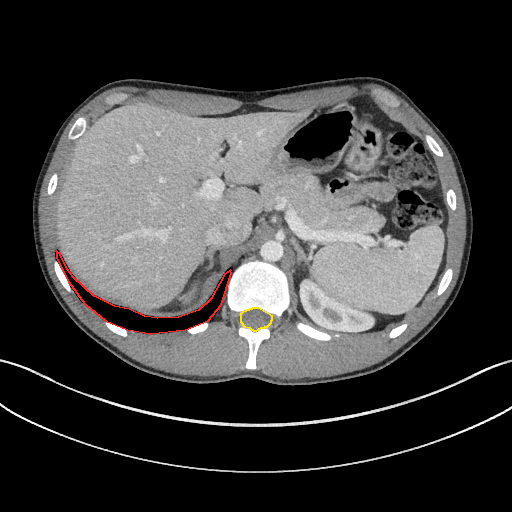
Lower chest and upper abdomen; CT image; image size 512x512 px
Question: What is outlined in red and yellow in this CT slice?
Answer: red: thoracic cavity; yellow: spinal cord.
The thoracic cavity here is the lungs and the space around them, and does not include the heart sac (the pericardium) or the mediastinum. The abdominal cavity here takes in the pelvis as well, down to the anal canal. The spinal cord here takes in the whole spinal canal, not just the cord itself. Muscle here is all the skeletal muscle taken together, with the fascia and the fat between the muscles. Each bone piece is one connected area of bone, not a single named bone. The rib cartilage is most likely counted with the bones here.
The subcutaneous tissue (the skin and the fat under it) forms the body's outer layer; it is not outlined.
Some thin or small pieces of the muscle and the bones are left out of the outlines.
{"thoracic_cavity":[[[150,333],[185,329],[208,320],[221,304],[231,273],[230,270],[224,274],[210,299],[198,310],[178,317],[157,318],[144,316],[129,309],[114,306],[94,296],[73,277],[67,269],[60,254],[56,251],[56,258],[68,281],[84,303],[105,320],[127,329]]],"spinal_cord":[[[253,330],[256,330],[261,327],[264,327],[265,326],[267,326],[271,322],[271,320],[272,319],[272,316],[258,308],[252,308],[251,309],[249,309],[248,310],[246,310],[245,311],[242,312],[240,314],[240,321],[244,326],[249,327],[251,329],[252,329]]],"abdominal_cavity":[[[340,335],[402,323],[444,271],[445,196],[433,154],[403,114],[376,97],[358,95],[308,110],[244,105],[215,115],[132,101],[88,122],[68,152],[53,209],[56,250],[88,291],[144,315],[178,316],[201,307],[228,269],[257,258],[284,271],[306,323]]],"torso":[[[279,385],[313,385],[371,374],[403,355],[449,309],[466,274],[473,234],[469,191],[452,145],[405,92],[372,76],[262,90],[220,89],[143,78],[114,80],[97,88],[57,130],[33,191],[36,255],[55,299],[94,341],[149,374],[196,384],[251,377]]],"muscle":[{"outer":[[280,379],[297,379],[303,377],[309,377],[310,378],[324,377],[361,369],[377,363],[392,354],[412,338],[438,312],[450,294],[457,280],[459,274],[461,259],[463,254],[463,248],[465,242],[465,236],[466,235],[465,205],[456,170],[452,158],[447,148],[432,128],[406,101],[389,89],[374,83],[363,84],[359,87],[353,85],[324,87],[319,89],[313,89],[312,90],[306,90],[288,94],[276,95],[258,101],[241,101],[229,97],[214,96],[208,94],[200,94],[199,93],[192,93],[191,92],[185,92],[177,90],[159,89],[158,88],[150,89],[149,88],[136,87],[135,86],[114,87],[102,92],[80,109],[74,115],[66,126],[53,153],[40,189],[39,201],[38,202],[38,213],[39,214],[38,221],[39,222],[40,240],[42,244],[42,248],[44,253],[47,269],[56,288],[69,307],[84,324],[100,337],[115,346],[119,350],[131,358],[145,365],[164,371],[182,375],[203,375],[204,376],[208,375],[228,375],[233,373],[237,373],[240,371],[252,370],[253,371],[259,371],[263,374],[273,377],[277,377]],"hole":[[247,369],[256,368],[259,345],[287,310],[291,290],[306,320],[296,322],[296,328],[309,337],[330,340],[386,329],[393,338],[437,284],[436,295],[448,286],[452,269],[444,269],[447,207],[455,210],[456,196],[451,188],[445,196],[442,191],[433,158],[443,156],[440,146],[429,134],[423,138],[395,109],[399,102],[393,95],[372,89],[371,95],[308,110],[244,105],[228,113],[195,115],[158,103],[122,103],[128,95],[118,92],[104,99],[112,106],[88,122],[80,116],[70,128],[67,137],[74,142],[62,173],[59,178],[53,173],[47,186],[47,194],[54,194],[54,270],[64,288],[125,337],[128,329],[201,332],[225,297],[238,317],[238,333],[249,345]]}],"bones":[{"outer":[[247,369],[256,368],[256,354],[259,345],[270,336],[271,328],[276,326],[277,320],[287,310],[290,303],[287,278],[283,271],[274,264],[257,259],[250,259],[242,262],[232,272],[225,295],[229,308],[238,317],[238,333],[249,345],[249,354],[245,363]],"hole":[[253,330],[256,330],[261,327],[264,327],[265,326],[267,326],[271,322],[271,320],[272,319],[272,316],[258,308],[252,308],[251,309],[249,309],[248,310],[246,310],[245,311],[242,312],[240,314],[240,321],[244,326],[249,327],[251,329],[252,329]]},[[318,340],[330,340],[333,337],[338,337],[339,335],[337,334],[331,335],[324,331],[321,331],[318,329],[316,329],[300,321],[298,321],[295,323],[295,326],[298,330],[299,330],[307,336],[311,337],[312,338],[314,338],[315,339],[317,339]],[[72,140],[73,139],[75,139],[79,137],[85,131],[85,128],[87,125],[87,119],[84,116],[80,116],[78,118],[77,118],[76,120],[73,123],[72,126],[70,128],[68,132],[68,135],[67,137],[68,139],[71,139]],[[393,107],[396,107],[399,105],[399,102],[398,100],[393,95],[391,95],[387,92],[385,91],[382,91],[379,89],[372,89],[371,93],[373,95],[375,95],[377,97],[378,97],[380,99],[381,99],[383,101],[384,101],[386,103],[387,103],[389,105]],[[436,295],[440,295],[446,289],[446,288],[448,286],[448,285],[451,280],[451,278],[452,277],[452,269],[451,268],[447,268],[445,270],[445,271],[444,272],[444,273],[439,282],[439,284],[438,285],[438,287],[437,288],[437,291],[436,292]],[[69,292],[73,292],[73,290],[71,288],[69,283],[67,281],[66,279],[66,277],[62,269],[60,267],[57,260],[55,259],[54,260],[54,270],[55,271],[55,273],[58,279],[60,281],[60,282],[62,284],[64,288],[67,291]],[[441,157],[442,157],[443,156],[443,152],[442,151],[442,150],[441,149],[440,146],[437,143],[437,142],[429,134],[425,134],[424,135],[424,139],[425,140],[425,141],[426,142],[426,143],[427,144],[428,147],[434,154],[435,154],[438,156],[440,156]],[[125,337],[126,336],[127,336],[127,334],[128,333],[127,330],[125,328],[124,328],[123,327],[121,327],[118,325],[116,325],[115,324],[110,323],[107,321],[105,321],[104,322],[105,325],[113,332],[114,332],[119,335],[124,336]],[[191,334],[194,334],[195,333],[197,333],[198,332],[201,332],[205,330],[208,327],[209,325],[209,323],[208,321],[206,321],[203,323],[201,323],[198,325],[196,325],[193,327],[191,327],[190,328],[188,328],[186,329],[186,331]],[[390,338],[393,338],[394,337],[395,337],[396,336],[397,336],[398,335],[399,335],[407,327],[407,323],[403,323],[402,324],[400,324],[398,326],[397,326],[396,327],[395,327],[394,328],[393,328],[391,330],[390,330],[390,331],[388,333],[388,336]]]}